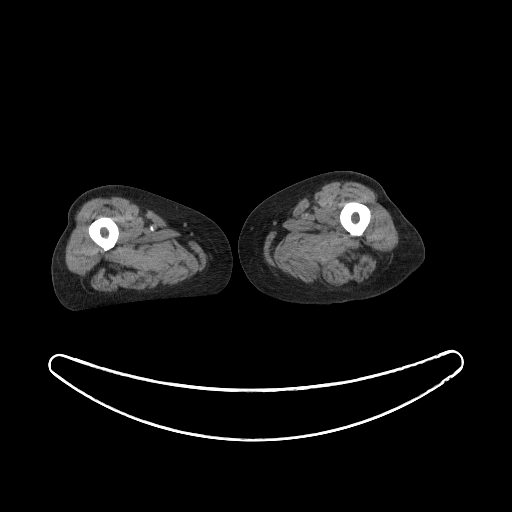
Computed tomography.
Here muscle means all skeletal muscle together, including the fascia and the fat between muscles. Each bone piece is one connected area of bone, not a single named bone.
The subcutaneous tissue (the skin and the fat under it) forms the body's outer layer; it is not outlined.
The bones appear in 2 outlined pieces: piece 1: 349,201 356,201 357,202 362,203 366,205 370,210 370,213 371,214 370,221 364,230 362,235 360,236 353,236 351,235 340,223 340,220 339,219 339,214 340,213 340,211 343,207 344,204 346,202 348,202; piece 2: 100,216 106,216 107,217 111,217 113,218 113,220 116,223 118,227 118,230 119,231 119,235 116,241 116,243 112,248 108,250 104,250 100,246 95,243 90,237 89,233 88,232 88,227 89,225 95,219. The right leg is outlined by 106,184 123,184 141,188 193,208 212,219 222,229 231,247 233,265 227,285 219,293 213,295 137,301 79,311 72,311 64,307 59,302 54,293 51,280 50,267 53,250 67,224 68,209 75,198 88,189. The muscle appears in 2 outlined pieces: piece 1: 332,181 355,181 372,189 383,206 389,212 398,233 398,243 392,250 391,260 382,273 369,282 347,291 315,289 306,286 297,280 280,273 270,266 263,257 263,246 266,236 279,224 285,214 299,200 319,187; inner edge: 349,201 356,201 357,202 362,203 366,205 370,210 370,213 371,214 370,221 364,230 362,235 360,236 353,236 351,235 340,223 340,220 339,219 339,214 340,213 340,211 343,207 344,204 346,202 348,202; piece 2: 106,193 115,194 138,202 159,215 171,227 195,241 206,254 207,261 205,267 189,279 164,290 138,292 122,291 109,295 99,295 88,292 82,287 76,276 67,269 65,263 65,248 76,213 81,206 86,201, around a hole outlined by 100,216 106,216 107,217 111,217 113,218 113,220 116,223 118,227 118,230 119,231 119,235 116,241 116,243 112,248 108,250 104,250 100,246 95,243 90,237 89,233 88,232 88,227 89,225 95,219. The left leg is outlined by 334,170 360,172 374,178 381,184 387,195 420,234 425,247 425,258 423,263 396,287 381,295 364,300 334,303 330,305 304,305 284,302 262,293 247,278 238,256 238,237 247,216 260,202 275,192 308,177.